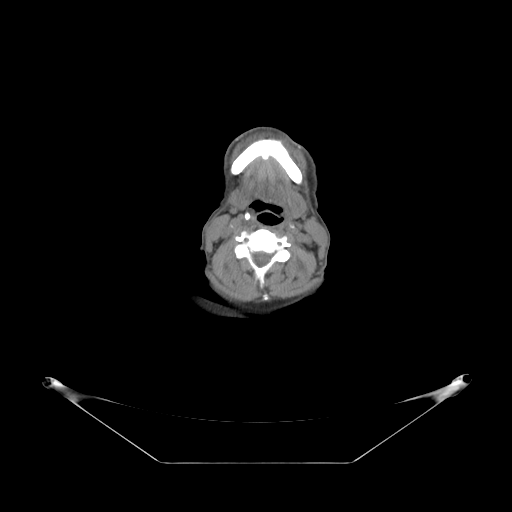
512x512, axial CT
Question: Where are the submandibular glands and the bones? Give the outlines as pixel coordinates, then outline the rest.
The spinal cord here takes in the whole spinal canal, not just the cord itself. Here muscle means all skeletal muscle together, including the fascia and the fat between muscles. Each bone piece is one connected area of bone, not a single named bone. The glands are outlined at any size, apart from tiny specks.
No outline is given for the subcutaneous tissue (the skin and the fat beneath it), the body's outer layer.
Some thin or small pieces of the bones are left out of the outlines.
Answer: The submandibular glands appear in 2 outlined pieces: piece 1: (292, 191) (295, 191) (297, 192) (300, 195) (301, 195) (307, 202) (307, 208) (306, 209) (306, 211) (305, 213) (304, 213) (303, 215) (299, 217) (293, 217) (290, 213) (290, 210) (289, 209) (289, 206) (288, 205) (289, 203) (288, 202) (288, 195) (289, 193); piece 2: (234, 191) (238, 191) (239, 192) (240, 192) (244, 196) (244, 197) (246, 200) (246, 203) (247, 204) (247, 207) (244, 210) (241, 210) (237, 207) (232, 207) (232, 206) (231, 205) (230, 205) (230, 204) (229, 203) (228, 203) (228, 196) (231, 192) (233, 192). The bones appear in 2 outlined pieces: piece 1: (262, 226) (268, 228) (279, 237) (285, 235) (291, 244) (287, 248) (290, 253) (289, 258) (284, 262) (276, 261) (269, 268) (264, 275) (264, 283) (261, 287) (248, 260) (244, 257) (236, 257) (234, 248) (237, 241) (234, 237) (243, 230) (251, 232) with a hole at (254, 252) (264, 252) (265, 253) (268, 253) (269, 254) (271, 254) (271, 257) (270, 258) (270, 259) (266, 263) (265, 263) (264, 264) (263, 264) (262, 265) (258, 265) (254, 261) (254, 260) (253, 259) (253, 258) (252, 257) (252, 253) (253, 253); piece 2: (263, 138) (272, 138) (281, 141) (288, 151) (291, 158) (301, 171) (302, 179) (300, 183) (298, 184) (294, 182) (289, 177) (280, 164) (271, 156) (269, 156) (267, 158) (258, 156) (252, 160) (240, 173) (236, 175) (231, 173) (230, 171) (231, 164) (237, 156) (252, 142). The muscle is outlined by (262, 131) (271, 131) (280, 134) (303, 152) (308, 166) (311, 205) (317, 220) (326, 232) (327, 243) (319, 266) (318, 275) (320, 279) (315, 287) (304, 293) (284, 299) (258, 303) (239, 302) (224, 296) (214, 287) (212, 283) (210, 277) (211, 260) (206, 250) (205, 231) (211, 219) (218, 213) (226, 202) (227, 197) (227, 203) (232, 208) (244, 211) (248, 207) (247, 200) (240, 191) (234, 190) (228, 195) (230, 188) (228, 161) (238, 142) (251, 134) with holes at (262, 226) (268, 228) (279, 237) (285, 235) (291, 244) (287, 248) (290, 253) (289, 258) (284, 262) (276, 261) (269, 268) (264, 275) (264, 283) (261, 287) (248, 260) (244, 257) (236, 257) (234, 248) (237, 241) (234, 237) (243, 230) (251, 232) and at (263, 138) (272, 138) (281, 141) (288, 151) (291, 158) (301, 171) (302, 179) (300, 183) (298, 184) (294, 182) (289, 177) (280, 164) (271, 156) (269, 156) (267, 158) (258, 156) (252, 160) (240, 173) (236, 175) (231, 173) (230, 171) (231, 164) (237, 156) (252, 142) and at (254, 202) (263, 202) (266, 204) (270, 204) (279, 207) (281, 209) (279, 212) (272, 213) (281, 218) (281, 220) (277, 223) (266, 223) (261, 221) (258, 219) (258, 215) (260, 213) (262, 212) (270, 212) (271, 213) (272, 211) (269, 209) (256, 210) (252, 206) (252, 204) and at (292, 191) (295, 191) (297, 192) (300, 195) (301, 195) (307, 202) (307, 208) (306, 209) (306, 211) (305, 213) (304, 213) (303, 215) (299, 217) (293, 217) (290, 213) (290, 210) (289, 209) (289, 206) (288, 205) (289, 203) (288, 202) (288, 195) (289, 193). The spinal cord is outlined by (254, 252) (264, 252) (265, 253) (268, 253) (269, 254) (271, 254) (271, 257) (270, 258) (270, 259) (266, 263) (265, 263) (264, 264) (263, 264) (262, 265) (258, 265) (254, 261) (254, 260) (253, 259) (253, 258) (252, 257) (252, 253) (253, 253). The head and neck is outlined by (266, 124) (281, 128) (303, 145) (316, 164) (318, 211) (331, 237) (325, 281) (314, 295) (265, 317) (233, 318) (210, 315) (183, 295) (183, 292) (188, 291) (208, 298) (214, 296) (203, 271) (205, 258) (199, 248) (201, 230) (222, 197) (222, 163) (227, 146) (240, 133); inner edge: (254, 202) (263, 202) (266, 204) (270, 204) (279, 207) (281, 209) (279, 212) (272, 213) (281, 218) (281, 220) (277, 223) (266, 223) (261, 221) (258, 219) (258, 215) (260, 213) (262, 212) (270, 212) (271, 213) (272, 211) (269, 209) (256, 210) (252, 206) (252, 204).